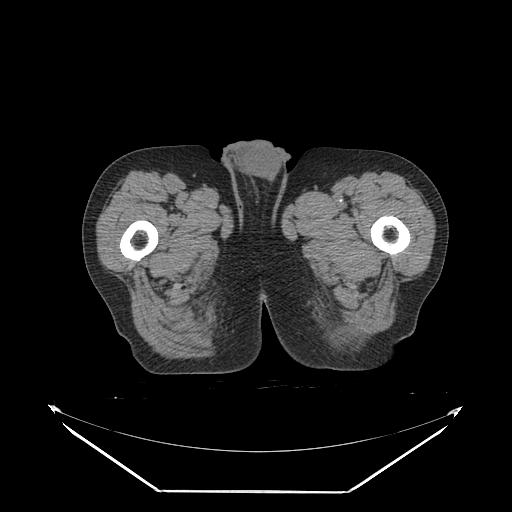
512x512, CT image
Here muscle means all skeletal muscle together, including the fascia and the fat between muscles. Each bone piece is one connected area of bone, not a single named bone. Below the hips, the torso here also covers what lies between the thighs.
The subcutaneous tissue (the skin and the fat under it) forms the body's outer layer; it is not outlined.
The left leg is outlined by 318,146 377,149 403,156 425,172 436,186 446,207 449,237 441,274 420,308 413,333 397,344 396,353 391,360 374,369 351,371 315,369 294,361 279,343 267,308 264,305 276,209 288,170 293,167 304,151. The bones appear in 2 outlined pieces: piece 1: 383,215 392,215 393,216 397,217 406,225 409,230 409,233 410,234 410,241 408,245 402,251 398,252 396,254 393,254 391,255 387,252 379,249 373,244 371,240 371,236 370,235 370,228 374,221 379,217; piece 2: 141,219 149,221 156,227 157,232 158,233 158,242 155,248 150,253 144,256 138,261 136,261 135,260 132,260 129,258 127,258 122,254 119,247 119,243 120,242 121,236 125,229 132,222 136,220 140,220. The right leg is outlined by 176,144 199,144 206,147 227,170 236,193 240,235 263,302 260,353 251,365 239,371 214,374 155,374 146,371 134,359 128,343 117,332 111,314 85,266 81,239 82,218 90,192 101,172 112,161 130,151. The muscle appears in 2 outlined pieces: piece 1: 376,170 387,170 402,175 422,193 436,223 432,254 428,267 422,275 403,288 396,318 390,328 359,353 332,352 323,338 326,328 323,294 315,285 294,245 282,233 281,216 285,206 304,190 324,186 350,173 with a hole at 383,215 392,215 393,216 397,217 406,225 409,230 409,233 410,234 410,241 408,245 402,251 398,252 396,254 393,254 391,255 387,252 379,249 373,244 371,240 371,236 370,235 370,228 374,221 379,217; piece 2: 152,166 171,171 188,183 205,183 217,188 229,204 233,215 233,231 216,266 204,309 206,319 218,344 218,353 212,357 168,359 152,352 134,327 131,301 126,287 105,271 97,256 95,224 111,188 132,168; inner edge: 141,219 149,221 156,227 157,232 158,233 158,242 155,248 150,253 144,256 138,261 136,261 135,260 132,260 129,258 127,258 122,254 119,247 119,243 120,242 121,236 125,229 132,222 136,220 140,220. The torso is outlined by 254,138 262,138 270,140 276,146 283,147 291,155 290,159 286,163 287,172 275,209 273,235 272,236 267,279 263,301 241,235 240,212 237,193 228,170 219,160 221,157 222,148 227,144 238,140 249,140.